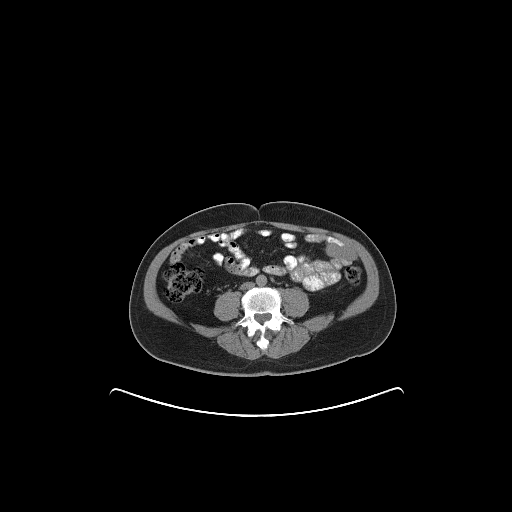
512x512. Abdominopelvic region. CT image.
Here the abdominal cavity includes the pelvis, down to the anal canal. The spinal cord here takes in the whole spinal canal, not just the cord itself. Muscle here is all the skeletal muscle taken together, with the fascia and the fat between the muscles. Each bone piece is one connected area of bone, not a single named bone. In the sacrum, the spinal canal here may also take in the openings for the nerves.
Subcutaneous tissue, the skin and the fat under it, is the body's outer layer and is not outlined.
The muscle is outlined by 253,220 276,221 277,222 291,223 297,225 305,225 306,226 311,226 312,227 318,227 319,228 323,228 331,231 338,232 355,239 366,248 372,256 376,264 378,270 378,275 379,276 379,294 377,299 374,303 364,312 360,313 348,319 343,320 340,322 336,322 332,325 330,325 328,327 320,331 314,338 312,338 297,352 285,355 280,358 271,358 267,356 262,356 257,359 249,360 245,358 242,358 230,354 218,346 216,343 213,342 211,339 202,336 191,330 186,329 181,326 176,325 171,322 169,322 156,316 153,314 145,305 145,302 143,298 143,283 144,282 144,278 145,277 146,271 151,261 155,255 162,248 168,245 176,239 183,237 190,233 196,231 199,231 208,228 225,226 226,225 230,225 231,224 235,224 241,222 252,221; inner edge: 261,224 330,235 356,251 366,274 345,308 304,319 307,293 279,287 280,311 292,323 267,329 265,350 258,330 248,336 236,325 244,314 240,291 220,293 212,313 223,323 205,325 182,319 156,287 179,244. The spinal cord is outlined by 257,314 269,314 270,315 270,317 268,319 267,319 266,320 265,320 262,323 260,323 257,320 256,320 256,319 255,318 255,315 256,315. The abdominal cavity is outlined by 261,224 292,232 330,235 355,250 365,269 366,282 345,308 300,319 310,308 308,295 300,287 254,285 242,294 238,290 220,293 212,313 223,323 205,325 185,321 160,299 156,287 158,272 176,246 199,236. The bones are outlined by 254,286 268,286 278,289 281,296 280,311 292,321 291,324 283,322 277,331 270,329 265,331 264,336 268,340 265,350 256,344 261,334 258,330 252,336 248,336 246,327 236,325 244,314 241,297 244,292; inner edge: 257,314 269,314 270,315 270,317 268,319 267,319 266,320 265,320 262,323 260,323 257,320 256,320 256,319 255,318 255,315 256,315. The torso is outlined by 274,201 301,202 332,211 357,225 374,242 388,265 396,296 395,321 385,341 366,355 321,369 291,375 255,377 204,373 160,361 148,354 132,333 128,304 136,270 152,242 171,225 199,210 230,202 258,206.